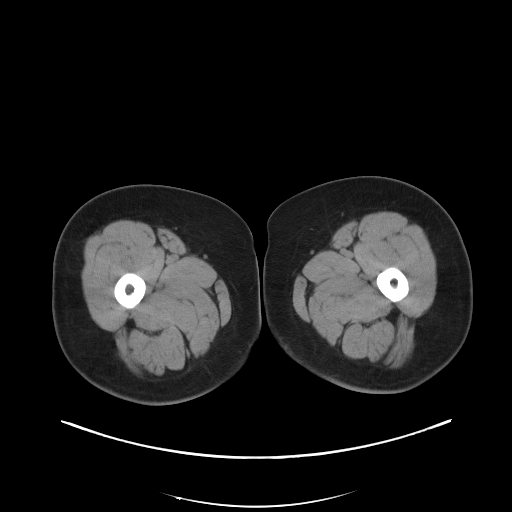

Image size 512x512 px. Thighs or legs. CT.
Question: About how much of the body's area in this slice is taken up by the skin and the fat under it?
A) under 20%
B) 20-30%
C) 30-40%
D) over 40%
Answer: D) over 40%
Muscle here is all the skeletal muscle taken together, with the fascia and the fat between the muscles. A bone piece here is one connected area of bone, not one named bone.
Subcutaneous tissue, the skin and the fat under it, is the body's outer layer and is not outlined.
Outlines:
bones 1: 126 272; 133 272; 134 273; 138 274; 144 280; 145 284; 146 285; 145 293; 142 299; 139 302; 139 303; 138 303; 133 308; 126 308; 121 305; 116 300; 114 296; 114 293; 113 292; 113 290; 114 289; 114 285; 116 281; 124 273
bones 2: 390 266; 394 266; 395 267; 397 267; 400 270; 401 270; 406 276; 407 280; 408 281; 408 286; 409 287; 408 293; 401 300; 397 301; 396 302; 393 302; 391 301; 387 297; 386 297; 379 290; 376 284; 376 277; 377 275; 382 270
left leg: 357 175; 396 178; 413 184; 434 197; 455 222; 472 269; 472 320; 462 347; 436 375; 421 385; 400 393; 357 392; 312 374; 291 359; 274 340; 268 329; 262 304; 263 257; 266 248; 265 225; 271 212; 281 202; 300 191; 331 180
muscle 1: 119 219; 142 221; 154 228; 164 226; 172 230; 191 253; 197 254; 230 282; 237 297; 236 314; 219 340; 188 372; 169 380; 150 381; 134 375; 118 356; 110 333; 100 328; 91 318; 83 296; 81 270; 84 264; 85 240; 108 223 with a hole at 126 272; 133 272; 134 273; 138 274; 144 280; 145 284; 146 285; 145 293; 142 299; 139 302; 139 303; 138 303; 133 308; 126 308; 121 305; 116 300; 114 296; 114 293; 113 292; 113 290; 114 289; 114 285; 116 281; 124 273
muscle 2: 384 210; 398 212; 406 216; 410 222; 421 226; 436 259; 437 284; 433 303; 416 320; 415 346; 411 358; 397 369; 373 367; 338 357; 326 347; 314 330; 300 319; 292 304; 293 283; 296 275; 304 264; 330 241; 334 232; 353 218, around a hole outlined by 390 266; 394 266; 395 267; 397 267; 400 270; 401 270; 406 276; 407 280; 408 281; 408 286; 409 287; 408 293; 401 300; 397 301; 396 302; 393 302; 391 301; 387 297; 386 297; 379 290; 376 284; 376 277; 377 275; 382 270
right leg: 138 183; 180 187; 223 201; 239 213; 248 224; 258 263; 262 305; 261 329; 247 361; 237 373; 215 389; 193 399; 169 405; 142 405; 126 401; 86 381; 65 358; 55 335; 51 313; 53 256; 59 235; 67 220; 80 205; 98 193